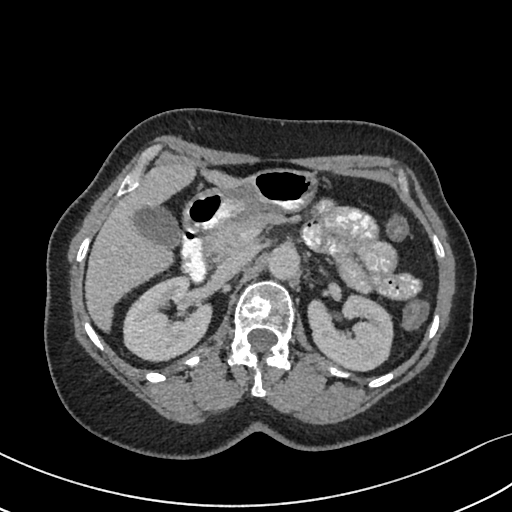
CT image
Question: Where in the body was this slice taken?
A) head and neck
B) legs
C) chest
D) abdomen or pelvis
Answer: D) abdomen or pelvis
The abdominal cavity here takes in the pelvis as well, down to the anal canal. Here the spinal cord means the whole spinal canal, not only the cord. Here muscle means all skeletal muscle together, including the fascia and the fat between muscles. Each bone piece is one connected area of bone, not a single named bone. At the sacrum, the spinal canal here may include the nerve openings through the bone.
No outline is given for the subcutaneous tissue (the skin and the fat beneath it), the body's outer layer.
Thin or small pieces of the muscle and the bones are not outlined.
{"bones":[{"outer":[[262,280],[275,281],[288,291],[294,308],[294,321],[288,343],[290,368],[285,370],[260,363],[262,387],[266,393],[263,397],[257,397],[251,393],[254,370],[244,364],[231,366],[227,359],[231,354],[230,343],[234,335],[233,315],[236,302],[247,285]],"hole":[[254,329],[266,329],[269,331],[271,331],[276,336],[276,338],[277,339],[276,340],[276,342],[273,345],[272,345],[269,348],[269,352],[257,352],[254,350],[252,350],[252,345],[249,342],[249,341],[248,340],[248,334],[250,331],[251,331]]},[[156,143],[160,143],[162,145],[162,148],[158,152],[157,155],[145,166],[138,180],[137,185],[136,185],[133,189],[128,191],[123,195],[119,197],[116,196],[116,192],[122,180],[133,168],[137,162],[137,160],[140,156],[141,153],[146,148]],[[399,169],[402,169],[404,171],[405,174],[407,176],[407,178],[409,182],[409,188],[410,189],[410,197],[413,201],[413,204],[411,206],[411,207],[408,206],[407,204],[404,201],[404,195],[398,183],[398,180],[397,179],[397,177],[398,176],[398,170]],[[87,320],[88,321],[89,321],[89,322],[95,330],[96,333],[99,337],[99,339],[100,340],[100,341],[103,345],[103,350],[102,351],[101,351],[91,341],[91,340],[89,338],[88,335],[86,333],[86,332],[84,329],[84,322]],[[391,371],[393,371],[393,372],[394,373],[394,376],[388,382],[387,382],[380,386],[378,386],[377,387],[373,387],[372,388],[369,387],[367,385],[368,384],[368,383],[374,378],[375,378],[378,376],[383,375],[384,374],[385,374],[388,372],[390,372]],[[87,236],[89,236],[91,239],[90,240],[90,242],[88,246],[88,249],[87,250],[86,255],[84,259],[80,263],[76,261],[76,255],[77,254],[77,251],[79,248],[79,246],[81,242],[83,240],[83,239]]],"torso":[[[186,107],[286,119],[364,120],[400,132],[426,154],[468,236],[477,275],[469,341],[441,391],[421,414],[387,433],[335,449],[296,449],[255,431],[210,455],[170,458],[132,451],[103,439],[68,412],[53,383],[43,338],[50,234],[132,127],[162,111]]],"muscle":[[[165,134],[259,157],[370,154],[394,157],[409,166],[443,223],[455,260],[456,286],[449,321],[430,363],[364,411],[337,423],[305,423],[260,398],[267,393],[260,364],[285,371],[291,368],[289,343],[295,310],[311,346],[333,364],[326,368],[330,375],[374,377],[366,385],[371,389],[395,376],[393,370],[416,351],[427,332],[429,340],[436,334],[440,325],[440,315],[435,312],[438,259],[445,257],[445,250],[438,235],[434,232],[430,238],[410,208],[414,201],[402,168],[396,177],[402,199],[386,182],[286,161],[169,162],[145,168],[163,148],[156,142],[140,153],[115,192],[121,197],[93,236],[85,236],[76,251],[75,261],[80,264],[84,260],[82,299],[89,320],[83,322],[83,329],[101,352],[101,338],[126,362],[147,370],[144,377],[148,381],[159,383],[167,378],[157,370],[181,363],[192,368],[200,362],[197,354],[222,329],[233,304],[233,335],[226,362],[253,370],[250,393],[254,397],[245,397],[203,422],[185,424],[162,417],[118,383],[84,352],[74,336],[67,252],[98,196],[142,147]]],"spinal_cord":[[[254,329],[266,329],[269,331],[271,331],[276,336],[276,338],[277,339],[276,340],[276,342],[273,345],[272,345],[269,348],[269,352],[257,352],[254,350],[252,350],[252,345],[249,342],[249,341],[248,340],[248,334],[250,331],[251,331]]],"abdominal_cavity":[[[258,162],[286,162],[389,184],[422,225],[437,258],[434,314],[418,347],[392,370],[358,377],[334,365],[308,340],[289,291],[272,279],[247,284],[212,341],[168,368],[136,367],[97,333],[83,299],[85,258],[102,221],[138,185],[144,170],[169,163]]]}